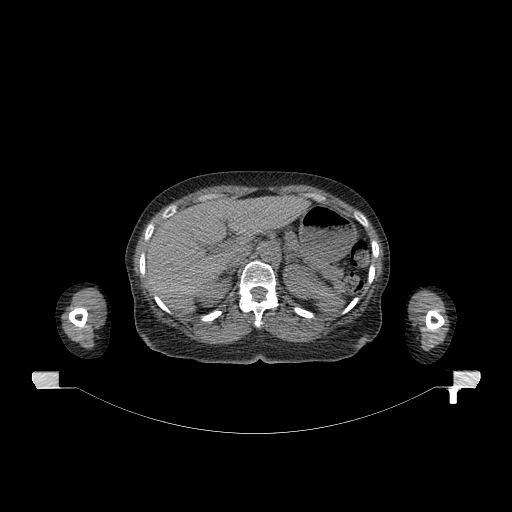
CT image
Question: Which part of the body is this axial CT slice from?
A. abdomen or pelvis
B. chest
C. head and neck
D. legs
Answer: A. abdomen or pelvis
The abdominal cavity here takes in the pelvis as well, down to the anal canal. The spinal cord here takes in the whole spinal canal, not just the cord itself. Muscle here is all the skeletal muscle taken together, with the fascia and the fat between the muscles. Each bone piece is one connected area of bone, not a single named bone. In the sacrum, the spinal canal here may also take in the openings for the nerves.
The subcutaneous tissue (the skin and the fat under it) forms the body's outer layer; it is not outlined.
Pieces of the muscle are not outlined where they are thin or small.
{"right_arm":[[[83,281],[89,281],[98,284],[104,290],[109,300],[111,307],[111,326],[110,327],[109,342],[107,348],[101,356],[91,359],[85,359],[78,357],[70,352],[65,347],[58,334],[55,323],[55,317],[54,316],[55,314],[55,306],[60,295],[71,285]]],"abdominal_cavity":[[[263,190],[302,194],[331,204],[364,228],[369,238],[371,261],[359,293],[342,309],[315,313],[300,306],[277,281],[273,267],[257,258],[243,266],[239,281],[217,308],[200,315],[172,311],[154,293],[146,275],[146,250],[156,226],[194,202]]],"muscle":[[[291,184],[314,186],[329,192],[358,209],[352,212],[352,216],[341,207],[326,202],[327,198],[317,192],[280,193],[263,189],[239,196],[209,192],[199,195],[196,198],[197,201],[179,209],[176,203],[169,204],[161,213],[162,220],[155,227],[155,223],[151,220],[143,233],[143,240],[147,242],[147,247],[139,255],[139,273],[141,277],[147,277],[153,292],[152,297],[163,311],[169,315],[173,312],[184,316],[198,315],[202,322],[209,323],[223,313],[218,307],[238,283],[236,291],[238,307],[244,313],[251,311],[253,313],[253,325],[256,328],[234,343],[207,344],[193,340],[177,329],[157,321],[144,300],[133,268],[133,257],[139,236],[155,213],[174,200],[209,186]],[[368,219],[382,244],[383,267],[379,285],[364,312],[354,322],[339,326],[327,335],[307,342],[284,341],[259,328],[263,324],[264,312],[269,309],[274,310],[279,306],[277,282],[299,305],[295,305],[292,310],[301,317],[314,319],[315,314],[331,314],[341,310],[340,314],[344,315],[349,312],[360,300],[359,294],[365,284],[370,285],[376,273],[372,259],[379,256],[380,248],[376,239],[370,240],[365,229],[369,227]],{"outer":[[87,287],[93,287],[97,289],[102,295],[106,305],[105,322],[97,331],[99,337],[95,340],[96,343],[95,346],[91,349],[86,349],[81,347],[78,343],[71,340],[63,331],[61,320],[61,316],[64,312],[65,308],[70,303],[73,294],[77,291]],"hole":[[78,306],[81,306],[82,307],[84,307],[87,310],[87,318],[86,319],[86,321],[85,322],[85,324],[83,327],[79,327],[78,326],[75,325],[69,320],[69,318],[68,317],[68,315],[69,314],[69,312],[73,308],[74,308],[75,307],[77,307]]},{"outer":[[422,289],[427,289],[434,292],[442,299],[446,308],[446,313],[449,320],[449,329],[446,334],[444,341],[429,351],[425,351],[420,348],[420,343],[416,337],[418,332],[413,328],[412,322],[409,318],[409,312],[408,311],[409,303],[412,296]],"hole":[[430,309],[437,309],[438,310],[439,313],[443,317],[443,319],[444,320],[444,322],[443,323],[443,324],[435,330],[428,330],[427,329],[427,328],[426,327],[426,325],[425,324],[425,316],[426,315],[426,313],[428,311],[428,310],[429,310]]}],"bones":[{"outer":[[257,259],[269,264],[272,267],[276,278],[275,288],[278,297],[278,306],[274,309],[266,309],[263,312],[261,317],[262,324],[258,328],[254,325],[254,313],[251,310],[244,312],[240,309],[238,302],[239,295],[237,292],[239,288],[242,269],[248,262]],"hole":[[254,287],[262,287],[263,288],[264,288],[266,290],[266,292],[265,293],[265,295],[264,296],[264,299],[263,299],[262,300],[261,300],[260,301],[257,301],[256,300],[255,300],[254,299],[253,299],[253,297],[252,296],[252,294],[251,293],[251,290]]},[[430,309],[437,309],[438,310],[439,313],[443,317],[443,319],[444,320],[444,322],[443,323],[443,324],[435,330],[428,330],[427,329],[427,328],[426,327],[426,325],[425,324],[425,316],[426,315],[426,313],[428,311],[428,310],[429,310]],[[78,306],[81,306],[82,307],[84,307],[87,310],[87,318],[86,319],[86,321],[85,322],[85,324],[83,327],[79,327],[78,326],[75,325],[69,320],[69,318],[68,317],[68,315],[69,314],[69,312],[73,308],[74,308],[75,307],[77,307]],[[216,309],[217,309],[218,310],[220,310],[222,312],[222,313],[218,317],[217,317],[215,319],[214,319],[209,322],[208,321],[202,321],[200,319],[200,316],[202,314],[206,314],[207,313],[208,313],[213,310],[215,310]],[[355,210],[359,210],[360,211],[361,211],[363,213],[363,214],[366,217],[366,218],[367,219],[367,220],[368,221],[368,227],[367,228],[365,228],[355,218],[354,218],[353,217],[353,212]],[[295,306],[298,306],[299,307],[301,307],[304,309],[306,309],[309,311],[311,311],[312,312],[313,312],[315,315],[315,317],[314,318],[307,318],[306,317],[304,317],[303,316],[301,316],[300,315],[299,315],[298,314],[297,314],[293,310],[293,308]],[[171,204],[176,204],[177,205],[177,210],[175,212],[175,213],[174,213],[173,214],[173,215],[172,215],[171,216],[170,216],[169,217],[168,217],[167,218],[166,218],[165,219],[163,219],[162,218],[162,213],[164,211],[164,210],[169,205],[170,205]],[[143,251],[144,251],[145,252],[145,275],[144,276],[144,277],[143,277],[142,276],[141,276],[141,274],[140,273],[140,269],[139,268],[139,260],[140,259],[140,255],[141,254],[141,253]],[[151,221],[152,221],[154,223],[154,229],[153,230],[153,232],[152,233],[152,234],[151,235],[151,236],[150,237],[150,238],[149,239],[149,240],[148,241],[145,241],[144,240],[144,233],[145,232],[145,229],[146,228],[146,227],[147,226],[147,225]],[[372,239],[374,239],[375,240],[376,240],[376,241],[377,242],[377,243],[378,244],[378,247],[379,248],[379,252],[378,253],[378,256],[376,258],[374,258],[373,259],[372,258],[372,252],[371,251],[371,244],[370,243],[370,241]],[[358,295],[359,296],[359,300],[357,302],[357,303],[349,311],[348,311],[346,313],[345,313],[344,314],[341,314],[341,312],[342,311],[342,310],[352,300],[352,299],[354,297],[355,297],[356,296],[357,296]],[[371,262],[373,262],[373,263],[374,264],[374,266],[375,267],[375,273],[374,274],[374,277],[373,278],[373,280],[372,281],[372,282],[370,284],[368,284],[367,283],[367,278],[368,277],[368,271],[369,270],[369,267],[370,266],[370,264],[371,263]],[[154,294],[155,294],[156,295],[157,295],[157,296],[163,302],[163,303],[172,312],[172,313],[171,314],[169,314],[168,313],[167,313],[164,310],[163,310],[156,303],[156,302],[155,301],[155,300],[154,299],[154,298],[153,297],[153,295]],[[305,193],[317,193],[318,194],[321,194],[322,195],[323,195],[326,198],[326,200],[325,201],[317,201],[316,200],[315,200],[314,199],[313,199],[311,197],[309,197],[308,196],[306,196],[305,195],[304,195],[303,194],[304,194]],[[209,193],[215,193],[216,194],[221,194],[222,195],[220,195],[219,196],[216,196],[215,197],[211,197],[210,198],[207,198],[206,199],[204,199],[203,200],[198,200],[197,199],[197,198],[199,196],[200,196],[201,195],[203,195],[204,194],[208,194]]],"torso":[[[228,170],[313,173],[346,184],[370,204],[388,240],[390,273],[381,298],[379,332],[356,354],[336,361],[267,363],[259,359],[247,364],[208,363],[170,357],[150,349],[142,341],[135,328],[133,298],[124,263],[126,245],[138,217],[167,187],[192,176]]],"left_arm":[[[421,284],[432,284],[443,289],[451,297],[454,302],[457,314],[457,320],[455,325],[454,333],[448,348],[444,354],[438,360],[429,364],[423,364],[416,361],[410,354],[407,348],[405,340],[404,311],[405,310],[406,298],[409,292],[413,288]]],"spinal_cord":[[[254,287],[262,287],[263,288],[264,288],[266,290],[266,292],[265,293],[265,295],[264,296],[264,299],[263,299],[262,300],[261,300],[260,301],[257,301],[256,300],[255,300],[254,299],[253,299],[253,297],[252,296],[252,294],[251,293],[251,290]]]}